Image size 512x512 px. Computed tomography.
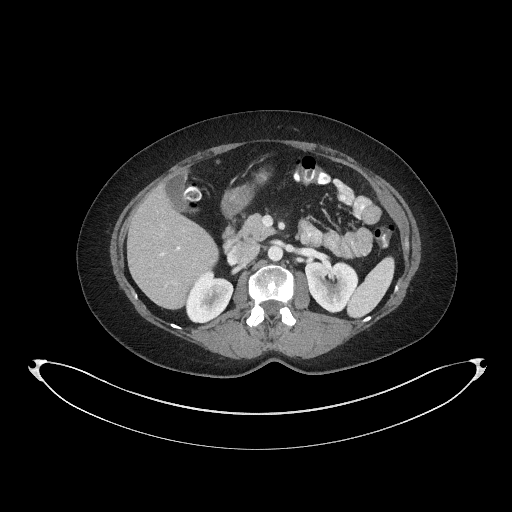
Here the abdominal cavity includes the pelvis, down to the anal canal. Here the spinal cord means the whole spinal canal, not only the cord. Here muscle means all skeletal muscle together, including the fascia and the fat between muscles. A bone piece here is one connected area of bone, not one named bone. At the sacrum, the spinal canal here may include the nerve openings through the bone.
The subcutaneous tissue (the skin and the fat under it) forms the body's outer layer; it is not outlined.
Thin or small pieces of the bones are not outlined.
Outlines (x, y in pixels):
torso: (216, 378) (245, 375) (272, 361) (310, 375) (344, 370) (392, 354) (435, 327) (455, 289) (455, 243) (430, 191) (390, 147) (325, 115) (288, 109) (246, 110) (168, 133) (132, 155) (105, 182) (83, 219) (76, 245) (76, 268) (88, 307) (114, 339) (139, 357) (175, 371)
spinal cord: (266, 315) (277, 315) (277, 314) (278, 313) (278, 310) (279, 309) (279, 308) (280, 307) (281, 307) (282, 304) (279, 301) (276, 301) (275, 300) (268, 300) (267, 301) (264, 301) (261, 304) (261, 305) (263, 307) (263, 308) (264, 309) (264, 311) (265, 312) (265, 314)
muscle: (233, 359) (240, 359) (241, 358) (250, 359) (257, 357) (264, 352) (270, 350) (278, 351) (290, 357) (300, 357) (304, 359) (312, 358) (328, 352) (344, 343) (356, 334) (369, 328) (378, 320) (394, 310) (401, 303) (405, 296) (406, 289) (419, 266) (421, 257) (421, 241) (418, 227) (408, 205) (402, 196) (387, 181) (368, 168) (364, 167) (352, 157) (329, 146) (326, 146) (319, 143) (300, 141) (299, 140) (258, 138) (234, 143) (221, 144) (207, 148) (204, 150) (197, 151) (180, 160) (170, 167) (164, 173) (151, 181) (129, 201) (122, 210) (114, 226) (111, 235) (110, 248) (109, 249) (113, 273) (120, 288) (133, 304) (136, 311) (147, 321) (174, 335) (190, 342) (195, 343) (211, 352) (217, 353) (222, 356) (229, 357) with a hole at (177, 329) (207, 323) (231, 308) (237, 278) (244, 271) (249, 274) (248, 292) (254, 301) (246, 323) (255, 326) (279, 316) (283, 323) (293, 325) (295, 318) (287, 303) (293, 295) (294, 269) (302, 270) (306, 276) (310, 310) (365, 322) (392, 290) (398, 290) (396, 281) (403, 270) (399, 228) (363, 176) (313, 152) (279, 143) (254, 143) (191, 164) (148, 195) (132, 215) (124, 241) (125, 272) (136, 291) (134, 298) (139, 296) (154, 314)
abdominal cavity: (192, 326) (231, 308) (239, 275) (244, 271) (249, 275) (268, 263) (304, 272) (310, 310) (348, 319) (370, 315) (387, 299) (403, 270) (399, 228) (363, 176) (313, 152) (279, 143) (254, 143) (191, 164) (158, 185) (134, 212) (124, 241) (124, 264) (129, 281) (154, 314)
bones: (249, 326) (255, 326) (266, 318) (271, 321) (278, 316) (283, 323) (289, 326) (294, 324) (295, 318) (287, 305) (292, 298) (294, 289) (293, 274) (289, 270) (280, 265) (268, 264) (260, 267) (249, 276) (248, 292) (254, 301) (249, 311) (250, 314) (246, 319) (246, 323); inner edge: (266, 315) (277, 315) (277, 314) (278, 313) (278, 310) (279, 309) (279, 308) (280, 307) (281, 307) (282, 304) (279, 301) (276, 301) (275, 300) (268, 300) (267, 301) (264, 301) (261, 304) (261, 305) (263, 307) (263, 308) (264, 309) (264, 311) (265, 312) (265, 314)